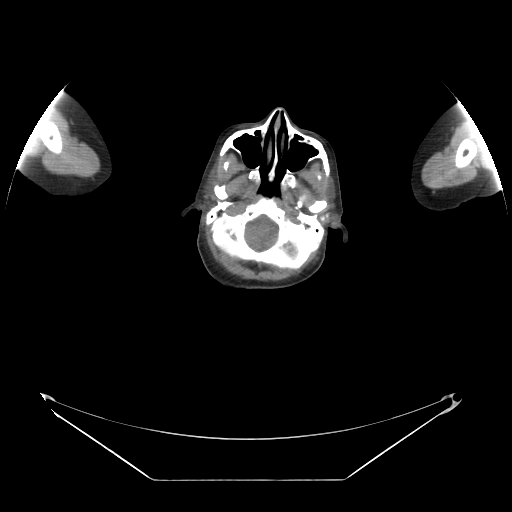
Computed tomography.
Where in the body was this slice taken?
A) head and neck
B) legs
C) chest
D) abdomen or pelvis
A) head and neck
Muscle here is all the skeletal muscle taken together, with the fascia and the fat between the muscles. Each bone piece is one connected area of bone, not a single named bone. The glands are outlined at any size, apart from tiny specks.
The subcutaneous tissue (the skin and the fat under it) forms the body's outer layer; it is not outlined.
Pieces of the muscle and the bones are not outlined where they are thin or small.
{"muscle":[{"outer":[[50,103],[58,111],[59,114],[73,127],[73,130],[78,135],[82,137],[83,140],[97,153],[100,158],[101,169],[93,177],[81,178],[72,175],[63,176],[51,174],[42,167],[39,163],[37,163],[28,157],[21,155],[26,141],[34,128],[34,126]],"hole":[[44,121],[51,121],[57,124],[57,127],[61,135],[61,140],[62,141],[62,149],[61,150],[61,152],[59,153],[54,153],[50,151],[40,140],[40,137],[38,133],[38,126],[42,122]]},{"outer":[[469,116],[471,117],[482,135],[491,154],[496,170],[487,171],[473,181],[459,186],[446,187],[435,190],[424,186],[421,182],[420,177],[421,169],[424,162],[428,157],[434,152],[437,151],[443,145],[444,141],[450,136],[450,134],[455,126],[463,119]],"hole":[[465,137],[467,138],[470,138],[474,141],[475,141],[476,143],[476,146],[478,150],[478,155],[476,155],[472,159],[470,163],[465,167],[463,167],[462,168],[458,168],[455,166],[455,154],[456,153],[456,150],[462,138],[464,138]]},[[213,191],[217,200],[205,213],[204,222],[209,226],[212,242],[220,251],[229,257],[242,261],[270,265],[279,269],[296,270],[320,247],[323,238],[318,259],[297,276],[278,281],[243,279],[222,271],[212,262],[204,246],[202,204],[204,200],[212,195]],[[221,145],[218,156],[221,158],[230,149],[241,156],[245,165],[250,168],[247,178],[253,182],[259,193],[255,201],[248,203],[241,212],[235,214],[226,212],[226,209],[233,204],[227,199],[229,196],[227,185],[225,183],[214,185],[215,172],[211,168]],[[315,159],[321,161],[324,176],[328,178],[326,200],[313,199],[306,206],[308,212],[305,212],[302,208],[307,196],[304,193],[300,194],[293,206],[297,212],[295,216],[297,221],[294,221],[277,203],[277,196],[288,188],[294,189],[298,184],[295,172]]],"head":[{"outer":[[277,106],[284,107],[298,126],[322,135],[331,144],[348,241],[343,242],[340,230],[329,229],[323,263],[312,276],[291,287],[228,287],[207,272],[199,256],[196,237],[200,212],[194,209],[182,217],[179,214],[194,200],[219,134],[232,124],[258,121]],"holes":[[[275,116],[265,159],[266,165],[271,160],[266,174],[270,183],[276,176],[279,159],[283,159],[295,136],[315,153],[301,168],[284,170],[279,195],[266,195],[259,192],[261,166],[246,165],[235,142],[243,136],[257,136],[258,132],[262,150]],[[282,116],[282,117],[284,119],[284,123],[285,124],[285,132],[284,131],[283,132],[282,132],[281,133],[281,134],[280,135],[280,140],[279,141],[279,142],[278,141],[278,134],[279,133],[279,130],[280,129],[280,126],[281,125],[281,118],[282,117]]]}],"bones":[{"outer":[[216,184],[226,185],[229,215],[241,213],[263,194],[276,196],[276,203],[297,222],[294,206],[300,195],[306,196],[301,208],[305,213],[313,200],[324,199],[327,206],[318,216],[328,215],[319,247],[296,269],[229,256],[213,242],[205,222],[218,200]],"hole":[[262,215],[267,217],[277,226],[277,232],[276,233],[276,238],[275,239],[275,241],[269,247],[265,249],[257,250],[250,246],[246,241],[246,239],[245,238],[245,231],[246,230],[246,226],[249,222],[251,222],[253,220],[256,219],[258,217]]},{"outer":[[276,108],[285,112],[298,130],[322,143],[329,164],[328,177],[325,176],[319,158],[306,162],[316,150],[299,142],[299,137],[295,135],[282,159],[280,157],[277,161],[273,180],[271,182],[268,180],[267,174],[272,160],[266,164],[267,147],[273,132],[275,115],[264,138],[262,149],[257,131],[257,135],[243,135],[235,140],[234,144],[241,155],[230,148],[221,157],[219,156],[221,147],[229,135],[236,130],[262,124]],"hole":[[282,116],[282,117],[284,119],[284,123],[285,124],[285,132],[284,131],[283,132],[282,132],[281,133],[281,134],[280,135],[280,140],[279,141],[279,142],[278,141],[278,134],[279,133],[279,130],[280,129],[280,126],[281,125],[281,118],[282,117]]},[[44,121],[51,121],[57,124],[57,127],[61,135],[61,140],[62,141],[62,149],[61,150],[61,152],[59,153],[54,153],[50,151],[40,140],[40,137],[38,133],[38,126],[42,122]],[[465,137],[467,138],[470,138],[474,141],[475,141],[476,143],[476,146],[478,150],[478,155],[476,155],[472,159],[470,163],[465,167],[463,167],[462,168],[458,168],[455,166],[455,154],[456,153],[456,150],[462,138],[464,138]],[[286,169],[288,169],[292,172],[294,172],[294,174],[295,175],[295,177],[296,178],[296,182],[297,183],[297,184],[294,188],[291,188],[290,187],[288,187],[283,192],[280,192],[280,182],[282,179],[282,177],[283,176],[283,175],[284,174],[284,172]],[[258,165],[259,165],[260,166],[260,178],[261,179],[261,182],[260,183],[260,185],[259,186],[258,189],[256,187],[256,185],[254,183],[254,182],[252,180],[251,180],[248,178],[248,173],[249,172],[250,169],[251,168],[254,168],[256,166],[257,166]]],"right_arm":[[[61,90],[63,90],[64,92],[68,92],[75,97],[82,104],[91,116],[105,140],[111,156],[113,167],[112,173],[109,178],[96,190],[91,193],[75,197],[50,195],[24,177],[17,168],[17,161],[21,156],[26,141],[34,128],[34,126],[43,112]]],"left_arm":[[[457,102],[466,110],[482,135],[493,159],[497,174],[499,177],[500,188],[495,194],[491,196],[477,197],[471,199],[453,209],[435,211],[428,209],[419,204],[412,194],[410,187],[410,174],[412,167],[412,160],[417,147],[434,121],[450,105],[456,104]]],"parotid_glands":[[[331,177],[333,177],[333,180],[334,181],[334,186],[335,187],[335,197],[334,198],[334,203],[335,204],[335,205],[334,206],[333,209],[332,209],[331,208],[328,207],[328,202],[327,201],[327,195],[328,194],[328,180],[329,179],[329,178],[330,178]],[[211,169],[212,169],[214,172],[214,183],[212,187],[212,193],[210,196],[204,199],[203,197],[203,192],[204,191],[204,188],[205,187],[205,185],[207,181],[207,178],[208,177],[209,172]]],"brain":[[[262,215],[267,217],[277,226],[277,232],[276,233],[276,238],[275,239],[275,241],[269,247],[265,249],[257,250],[250,246],[246,241],[246,239],[245,238],[245,231],[246,230],[246,226],[249,222],[251,222],[253,220],[256,219],[258,217]]]}